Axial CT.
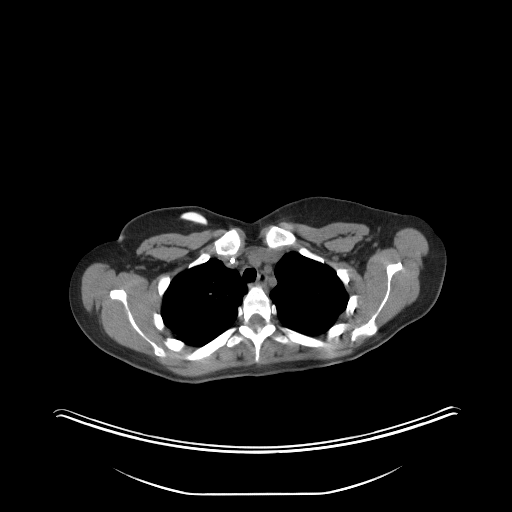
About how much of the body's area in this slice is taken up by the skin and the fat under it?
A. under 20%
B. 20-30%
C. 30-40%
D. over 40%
Answer: B. 20-30%
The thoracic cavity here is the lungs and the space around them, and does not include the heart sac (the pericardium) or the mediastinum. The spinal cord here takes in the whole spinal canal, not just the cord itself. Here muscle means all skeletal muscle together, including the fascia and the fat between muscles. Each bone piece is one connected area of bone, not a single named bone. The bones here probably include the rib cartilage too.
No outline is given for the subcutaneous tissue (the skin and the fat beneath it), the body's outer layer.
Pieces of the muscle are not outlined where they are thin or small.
{"mediastinum":[[[285,247],[289,247],[295,250],[286,252],[275,264],[274,275],[276,284],[269,291],[268,295],[258,284],[252,285],[248,289],[246,283],[241,278],[239,272],[236,269],[227,267],[220,259],[212,256],[234,256],[237,253],[250,249],[270,250],[281,249]]],"muscle":[{"outer":[[283,220],[302,223],[314,227],[320,227],[332,222],[354,222],[366,224],[370,230],[369,239],[366,245],[360,250],[366,258],[377,248],[391,247],[393,245],[395,233],[404,227],[413,227],[419,230],[427,240],[429,250],[426,269],[419,295],[416,300],[410,305],[406,306],[378,331],[379,328],[376,323],[376,319],[388,300],[391,291],[392,278],[397,272],[403,269],[403,264],[400,260],[388,263],[385,266],[386,288],[377,308],[365,322],[355,326],[350,331],[350,340],[352,342],[360,336],[369,337],[348,355],[331,359],[308,359],[272,363],[260,366],[253,364],[249,366],[228,368],[199,376],[183,376],[164,368],[150,356],[117,343],[106,334],[98,321],[87,312],[83,306],[81,299],[81,278],[85,269],[92,263],[107,263],[117,272],[133,270],[137,273],[145,275],[149,279],[153,278],[159,273],[153,269],[153,266],[150,263],[142,260],[135,252],[141,242],[151,236],[170,232],[187,234],[206,228],[228,228],[230,226],[239,227],[248,235],[253,235],[256,234],[262,227],[269,224],[275,224]],"hole":[[272,225],[288,229],[296,237],[293,244],[278,249],[297,251],[305,247],[333,269],[345,268],[348,272],[345,290],[349,296],[357,295],[357,306],[348,316],[344,311],[339,314],[336,321],[347,322],[349,327],[330,340],[329,347],[283,344],[269,336],[260,347],[257,362],[248,338],[232,347],[223,345],[201,360],[182,358],[196,348],[189,344],[178,352],[166,348],[169,355],[162,357],[131,325],[122,302],[109,296],[112,289],[123,289],[137,325],[163,347],[164,339],[173,333],[166,326],[159,330],[153,322],[153,312],[159,313],[162,305],[157,290],[160,277],[167,274],[173,278],[204,252],[216,255],[213,242],[232,228],[241,239],[238,253],[270,250],[265,234]]}],"torso":[[[309,196],[346,199],[419,216],[445,246],[445,275],[431,309],[356,359],[266,376],[227,378],[199,384],[178,383],[135,368],[103,352],[76,323],[68,300],[69,282],[76,264],[93,247],[115,239],[133,217],[161,207],[197,205],[252,222],[286,203]]],"bones":[{"outer":[[257,285],[275,305],[279,325],[324,341],[327,340],[327,330],[335,323],[347,322],[348,329],[330,340],[329,347],[283,344],[269,336],[260,347],[257,362],[254,345],[248,338],[232,347],[223,345],[201,360],[182,358],[233,326],[244,296],[252,286]],"hole":[[255,314],[257,314],[258,315],[259,315],[263,319],[263,320],[264,321],[264,324],[262,326],[260,326],[259,327],[258,327],[256,330],[254,330],[251,327],[250,327],[249,326],[249,321],[250,320],[250,319],[251,318],[251,317],[253,315],[254,315]]},[[112,289],[123,289],[126,292],[127,303],[133,318],[148,338],[163,347],[164,339],[173,337],[181,340],[185,344],[184,348],[178,352],[166,348],[165,350],[169,355],[164,357],[156,355],[152,346],[131,325],[122,302],[112,299],[109,296],[109,292]],[[398,261],[401,262],[402,269],[397,271],[391,278],[390,291],[387,300],[375,319],[375,323],[378,328],[377,331],[371,336],[360,335],[354,341],[352,341],[351,331],[355,327],[365,323],[372,316],[384,297],[387,288],[386,266],[390,263],[395,263]],[[232,228],[234,228],[238,232],[240,236],[240,238],[241,239],[241,244],[240,245],[240,247],[238,251],[234,255],[220,255],[219,254],[217,254],[214,250],[214,247],[213,246],[213,242],[217,238],[221,236],[226,231]],[[272,225],[276,225],[279,227],[281,227],[282,228],[285,228],[291,231],[295,235],[296,237],[296,240],[295,242],[291,245],[284,245],[283,246],[280,246],[277,248],[270,248],[266,244],[265,242],[265,234],[268,230],[268,229]],[[166,274],[167,274],[171,278],[171,279],[170,280],[170,282],[169,283],[166,290],[164,292],[164,293],[161,298],[158,294],[158,291],[157,290],[157,284],[158,283],[158,281],[159,280],[160,277],[161,276],[162,276],[163,275],[165,275]],[[353,294],[356,294],[358,297],[358,298],[357,299],[357,306],[354,309],[354,310],[353,311],[353,313],[348,316],[345,314],[345,312],[344,311],[345,310],[345,308],[347,305],[347,302],[348,301],[348,299],[349,298],[349,296],[350,295],[352,295]],[[300,247],[305,247],[311,252],[312,252],[313,253],[314,253],[315,254],[322,257],[324,259],[324,261],[325,262],[324,263],[322,263],[319,261],[314,260],[311,258],[309,258],[308,257],[301,254],[299,252],[298,252],[298,249]],[[204,252],[209,253],[211,256],[210,257],[210,258],[207,261],[206,261],[203,263],[201,263],[200,264],[195,265],[190,268],[188,268],[187,267],[188,264],[190,262],[191,262],[194,259],[195,259],[200,254],[201,254]],[[334,268],[345,268],[347,270],[347,271],[348,272],[348,275],[349,276],[349,281],[348,282],[348,284],[347,285],[347,287],[346,288],[344,286],[344,285],[343,284],[343,283],[341,281],[341,280],[338,277],[338,276],[336,273],[336,271],[334,269]],[[153,312],[157,312],[158,313],[159,313],[161,315],[161,317],[163,320],[163,322],[164,323],[164,325],[165,326],[165,327],[162,330],[159,330],[155,326],[155,325],[153,322],[153,317],[152,316],[152,314],[153,313]]],"thoracic_cavity":[[[211,257],[220,260],[227,268],[236,270],[240,278],[245,283],[247,291],[243,296],[241,303],[236,309],[235,323],[203,345],[196,347],[186,344],[181,339],[174,337],[172,331],[165,325],[160,313],[162,298],[172,278],[187,268],[190,269],[207,262]],[[291,251],[297,251],[309,259],[322,264],[325,263],[331,267],[348,294],[344,310],[339,314],[336,322],[325,332],[315,336],[302,333],[283,325],[277,318],[278,312],[276,305],[272,302],[269,296],[270,291],[277,284],[275,275],[276,264],[286,253]]],"spinal_cord":[[[255,314],[257,314],[258,315],[259,315],[263,319],[263,320],[264,321],[264,324],[262,326],[260,326],[259,327],[258,327],[256,330],[254,330],[251,327],[250,327],[249,326],[249,321],[250,320],[250,319],[251,318],[251,317],[253,315],[254,315]]]}